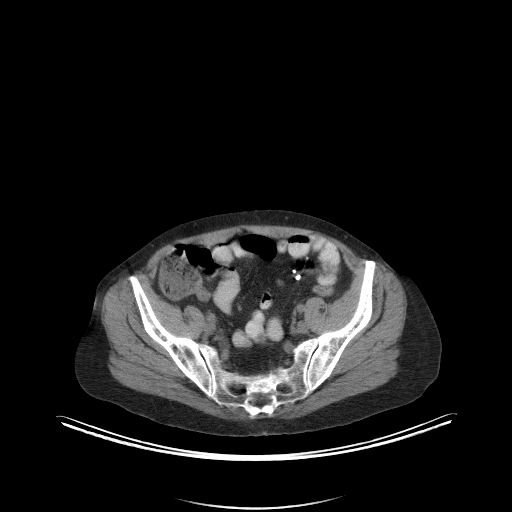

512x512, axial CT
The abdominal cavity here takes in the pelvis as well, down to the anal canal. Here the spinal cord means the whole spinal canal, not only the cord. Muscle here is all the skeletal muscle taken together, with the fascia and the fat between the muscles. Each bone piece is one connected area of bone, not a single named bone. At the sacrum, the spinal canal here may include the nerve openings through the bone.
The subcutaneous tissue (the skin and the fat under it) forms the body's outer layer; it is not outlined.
The abdominal cavity is outlined by [[243,230],[276,239],[323,238],[337,246],[352,272],[349,286],[334,301],[306,300],[303,322],[313,337],[293,347],[289,365],[265,373],[224,368],[214,346],[196,341],[206,323],[202,311],[194,304],[183,310],[154,289],[158,261],[172,244],[210,246]]. The bones are outlined by [[366,259],[376,263],[367,324],[314,390],[302,399],[280,404],[270,415],[260,412],[253,418],[243,407],[220,405],[204,393],[146,332],[128,279],[137,276],[156,317],[169,332],[214,347],[224,369],[255,375],[289,366],[300,342],[339,329],[350,320]]; inner edges: [[238,384],[243,384],[245,386],[245,391],[244,392],[241,392],[240,393],[235,393],[234,392],[233,392],[231,390],[231,386],[232,385],[237,385]], then [[254,399],[268,399],[269,400],[269,402],[268,403],[265,403],[264,404],[263,404],[261,406],[259,406],[258,405],[254,405],[253,404],[252,404],[250,402],[250,401],[251,400],[253,400]], then [[280,384],[284,384],[286,386],[287,386],[288,387],[289,387],[291,389],[291,391],[290,392],[285,392],[284,391],[283,391],[282,390],[279,390],[277,388],[277,386],[278,385],[279,385]]. The spinal cord appears in 3 outlined pieces: piece 1: [[238,384],[243,384],[245,386],[245,391],[244,392],[241,392],[240,393],[235,393],[234,392],[233,392],[231,390],[231,386],[232,385],[237,385]]; piece 2: [[254,399],[268,399],[269,400],[269,402],[268,403],[265,403],[264,404],[263,404],[261,406],[259,406],[258,405],[254,405],[253,404],[252,404],[250,402],[250,401],[251,400],[253,400]]; piece 3: [[280,384],[284,384],[286,386],[287,386],[288,387],[289,387],[291,389],[291,391],[290,392],[285,392],[284,391],[283,391],[282,390],[279,390],[277,388],[277,386],[278,385],[279,385]]. The torso is outlined by [[269,208],[302,212],[329,221],[374,249],[392,267],[414,280],[433,314],[442,342],[438,376],[420,397],[347,425],[295,434],[233,437],[164,425],[94,398],[80,387],[74,373],[74,351],[88,323],[96,287],[109,270],[158,234],[180,223],[217,213]]. The muscle is outlined by [[241,224],[310,229],[341,241],[366,258],[358,299],[351,317],[341,327],[314,336],[306,326],[303,306],[307,300],[321,297],[332,303],[348,289],[353,277],[338,246],[311,233],[276,238],[243,229],[210,245],[192,241],[172,243],[157,261],[153,289],[183,311],[185,305],[194,305],[201,311],[205,323],[196,340],[169,331],[157,317],[138,276],[131,274],[127,279],[145,332],[204,394],[220,406],[243,408],[251,419],[260,413],[270,416],[280,405],[304,399],[331,375],[347,345],[370,321],[375,261],[397,277],[407,301],[398,339],[399,372],[371,390],[299,417],[246,421],[220,418],[116,380],[108,368],[111,348],[101,321],[102,302],[108,289],[173,240]].